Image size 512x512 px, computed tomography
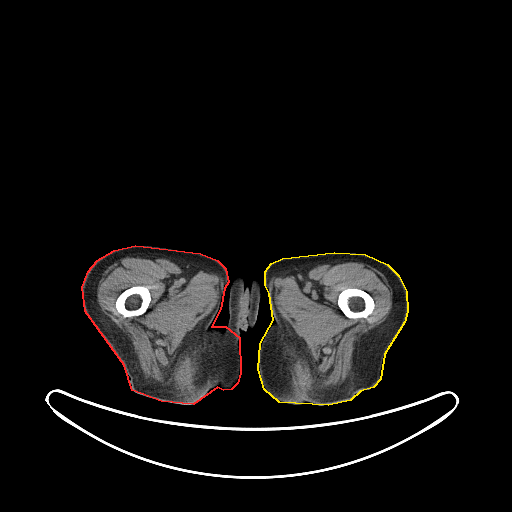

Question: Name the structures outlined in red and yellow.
Answer: red: right leg; yellow: left leg.
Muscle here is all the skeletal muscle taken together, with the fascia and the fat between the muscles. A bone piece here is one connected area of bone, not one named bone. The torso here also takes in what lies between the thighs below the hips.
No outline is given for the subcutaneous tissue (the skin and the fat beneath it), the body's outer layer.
The right leg is outlined by 135,245 200,253 217,260 225,268 228,282 224,288 220,309 211,326 225,326 239,337 240,373 237,383 231,389 223,390 217,387 193,404 161,401 132,390 124,365 85,311 82,287 88,271 97,260 114,250. The left leg is outlined by 334,252 365,254 387,264 398,275 406,291 407,311 404,322 384,354 380,379 373,387 360,391 350,400 328,405 279,402 264,389 258,369 260,343 273,320 269,293 265,285 265,271 271,263 282,258. The muscle appears in 2 outlined pieces: piece 1: 339,259 357,260 380,271 387,279 391,288 392,306 386,319 359,339 357,366 351,378 341,385 332,386 327,389 302,389 296,383 296,347 289,334 286,322 278,311 275,302 276,287 274,281 280,273 308,262; inner edge: 346,288 358,288 359,289 361,289 367,292 372,297 374,301 374,308 372,312 366,318 364,317 360,317 359,318 350,318 349,317 347,317 342,312 342,311 338,306 337,300 338,299 338,295 339,293 342,290; piece 2: 139,254 149,254 164,258 185,270 212,273 219,278 217,284 218,298 215,306 197,324 183,346 181,353 185,363 181,379 175,386 154,384 144,378 131,341 126,334 104,314 97,300 97,287 104,271 124,256; inner edge: 136,285 141,285 142,286 147,286 148,287 148,289 150,293 150,296 151,297 149,305 146,311 140,315 131,316 130,317 124,317 120,313 119,313 116,309 116,307 115,306 116,299 124,290 132,286 135,286. The torso is outlined by 236,275 241,275 243,278 244,283 246,285 249,285 253,278 255,277 258,279 260,283 260,300 256,321 253,327 250,328 247,331 242,330 240,332 240,337 235,335 226,326 229,316 230,285 233,278. The bones appear in 2 outlined pieces: piece 1: 346,288 358,288 359,289 361,289 367,292 372,297 374,301 374,308 372,312 366,318 364,317 360,317 359,318 350,318 349,317 347,317 342,312 342,311 338,306 337,300 338,299 338,295 339,293 342,290; piece 2: 136,285 141,285 142,286 147,286 148,287 148,289 150,293 150,296 151,297 149,305 146,311 140,315 131,316 130,317 124,317 120,313 119,313 116,309 116,307 115,306 116,299 124,290 132,286 135,286.